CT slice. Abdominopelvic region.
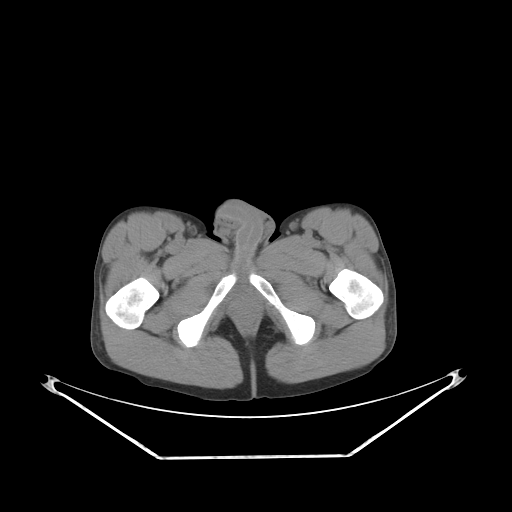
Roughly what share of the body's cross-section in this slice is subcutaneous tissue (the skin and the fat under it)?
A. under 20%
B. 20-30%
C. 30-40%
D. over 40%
B. 20-30%
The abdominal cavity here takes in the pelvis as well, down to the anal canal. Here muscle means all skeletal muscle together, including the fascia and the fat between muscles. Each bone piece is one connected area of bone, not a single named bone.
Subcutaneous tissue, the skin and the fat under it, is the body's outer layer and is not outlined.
{"muscle":[{"outer":[[320,207],[358,210],[378,241],[377,252],[388,281],[389,305],[385,348],[371,362],[317,379],[278,383],[266,373],[265,356],[284,335],[267,315],[262,318],[255,340],[247,344],[228,316],[220,320],[213,332],[229,341],[239,354],[244,380],[235,388],[171,382],[134,372],[110,360],[100,334],[99,277],[105,239],[118,221],[141,209],[167,211],[182,216],[199,233],[242,260],[252,260],[264,247],[287,235],[309,211]],"holes":[[[141,276],[146,278],[158,290],[159,292],[159,298],[157,301],[145,312],[143,320],[138,327],[134,329],[126,329],[125,328],[122,328],[115,324],[106,314],[106,312],[105,311],[105,303],[107,299],[120,287],[124,284],[131,281],[133,279],[135,279]],[[344,268],[348,268],[349,269],[354,270],[366,276],[381,289],[383,293],[383,302],[379,308],[372,315],[363,319],[355,319],[353,318],[349,315],[347,312],[344,306],[344,304],[329,291],[328,285],[336,276],[337,273],[340,270]],[[252,272],[262,276],[271,284],[280,300],[286,307],[296,312],[309,315],[313,318],[315,321],[315,330],[312,338],[307,343],[300,345],[299,344],[296,344],[293,341],[291,338],[290,331],[284,319],[278,310],[249,282],[248,276],[249,274]],[[231,273],[234,273],[236,275],[237,277],[236,282],[212,312],[204,327],[204,329],[202,332],[202,335],[197,345],[192,347],[186,347],[181,342],[178,336],[177,324],[180,320],[200,312],[208,302],[214,290],[214,288],[219,280],[223,276],[225,276]],[[242,288],[247,288],[249,289],[255,295],[255,297],[257,299],[257,302],[258,303],[258,315],[257,316],[257,320],[256,321],[256,324],[254,330],[251,336],[246,332],[238,320],[234,308],[234,301],[235,298],[238,292]]]}],"bones":[[[141,276],[146,278],[158,290],[159,292],[159,298],[157,301],[145,312],[143,320],[138,327],[134,329],[126,329],[125,328],[122,328],[115,324],[106,314],[106,312],[105,311],[105,303],[107,299],[120,287],[124,284],[131,281],[133,279],[135,279]],[[344,268],[348,268],[349,269],[354,270],[366,276],[381,289],[383,293],[383,302],[379,308],[372,315],[363,319],[355,319],[353,318],[349,315],[347,312],[344,306],[344,304],[329,291],[328,285],[336,276],[337,273],[340,270]],[[252,272],[262,276],[271,284],[280,300],[286,307],[296,312],[309,315],[313,318],[315,321],[315,330],[312,338],[307,343],[300,345],[299,344],[296,344],[293,341],[291,338],[290,331],[284,319],[278,310],[249,282],[248,276],[249,274]],[[231,273],[234,273],[236,275],[237,277],[236,282],[212,312],[204,327],[204,329],[202,332],[202,335],[197,345],[192,347],[186,347],[181,342],[178,336],[177,324],[180,320],[200,312],[208,302],[214,290],[214,288],[219,280],[223,276],[225,276]]],"abdominal_cavity":[[[242,288],[247,288],[249,289],[255,295],[255,297],[257,299],[257,302],[258,303],[258,315],[257,316],[257,320],[256,321],[256,324],[254,330],[251,336],[246,332],[238,320],[234,308],[234,301],[235,298],[238,292]]],"torso":[[[231,197],[267,212],[277,227],[296,210],[334,201],[355,203],[372,216],[396,288],[397,336],[385,359],[367,374],[320,392],[218,402],[145,385],[106,368],[95,358],[89,339],[93,269],[109,221],[131,206],[163,206],[197,216],[216,239],[214,209]]]}